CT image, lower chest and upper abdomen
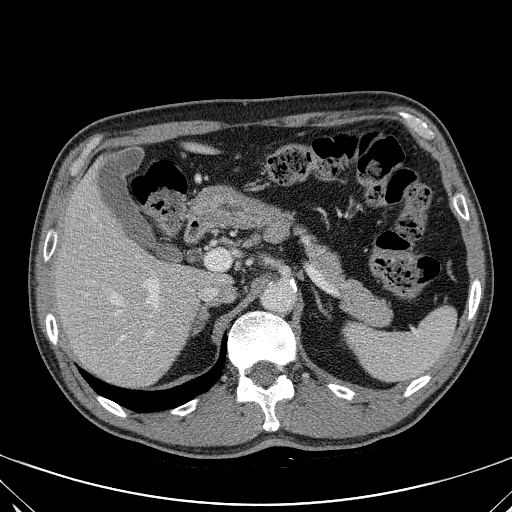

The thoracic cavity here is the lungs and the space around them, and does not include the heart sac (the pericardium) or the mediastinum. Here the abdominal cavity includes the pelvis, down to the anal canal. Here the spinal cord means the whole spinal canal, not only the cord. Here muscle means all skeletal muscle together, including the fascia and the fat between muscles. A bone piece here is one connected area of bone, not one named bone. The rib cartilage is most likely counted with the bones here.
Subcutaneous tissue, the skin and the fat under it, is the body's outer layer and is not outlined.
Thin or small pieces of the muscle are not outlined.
Outlines:
torso: (352, 90) (391, 91) (429, 108) (447, 128) (478, 198) (493, 258) (493, 300) (484, 331) (454, 383) (411, 427) (363, 446) (338, 450) (274, 446) (236, 458) (190, 458) (118, 437) (84, 417) (44, 364) (28, 306) (34, 221) (48, 174) (65, 143) (99, 118) (145, 107)
abdominal cavity: (374, 116) (402, 119) (438, 153) (447, 167) (452, 206) (465, 222) (468, 307) (458, 335) (433, 369) (384, 390) (331, 382) (300, 357) (290, 324) (261, 309) (232, 322) (207, 371) (169, 388) (128, 389) (76, 367) (59, 337) (50, 264) (74, 179) (97, 146)
spinal cord: (261, 360) (265, 360) (266, 361) (268, 361) (269, 362) (271, 362) (275, 364) (277, 366) (277, 368) (280, 372) (276, 377) (274, 382) (272, 384) (266, 387) (264, 386) (262, 386) (261, 385) (258, 385) (256, 384) (248, 375) (248, 373) (249, 372) (249, 369) (255, 363)
bones 1: (254, 310) (270, 312) (281, 317) (289, 324) (296, 338) (296, 358) (286, 368) (293, 384) (294, 396) (275, 403) (274, 413) (280, 423) (275, 431) (266, 431) (263, 428) (265, 415) (257, 402) (236, 401) (238, 371) (227, 357) (227, 335) (233, 322) (242, 314); inner edge: (261, 360) (265, 360) (266, 361) (268, 361) (269, 362) (271, 362) (275, 364) (277, 366) (277, 368) (280, 372) (276, 377) (274, 382) (272, 384) (266, 387) (264, 386) (262, 386) (261, 385) (258, 385) (256, 384) (248, 375) (248, 373) (249, 372) (249, 369) (255, 363)
bones 2: (398, 111) (404, 111) (410, 114) (412, 114) (416, 117) (418, 117) (420, 118) (427, 124) (428, 127) (433, 132) (434, 134) (434, 137) (432, 139) (430, 140) (428, 140) (420, 136) (415, 131) (414, 131) (407, 125) (404, 119) (398, 114) (397, 112)
bones 3: (98, 135) (101, 135) (101, 138) (99, 142) (91, 150) (91, 151) (85, 158) (83, 162) (83, 164) (81, 166) (77, 173) (75, 175) (71, 175) (70, 174) (70, 171) (69, 169) (73, 161) (79, 155) (82, 149) (86, 145) (86, 144) (90, 140) (91, 140) (94, 137)
bones 4: (476, 277) (478, 278) (480, 281) (480, 286) (481, 287) (481, 294) (480, 295) (479, 304) (476, 310) (476, 312) (473, 316) (473, 317) (470, 320) (468, 320) (467, 319) (467, 316) (468, 315) (469, 301) (470, 300) (470, 297) (471, 296) (472, 281) (473, 279)
bones 5: (51, 228) (53, 228) (55, 230) (56, 230) (56, 238) (57, 239) (57, 242) (56, 243) (56, 245) (55, 246) (54, 251) (50, 259) (48, 261) (45, 262) (43, 258) (43, 246) (44, 245) (44, 242) (45, 241) (46, 234) (48, 230)
bones 6: (455, 192) (460, 192) (464, 196) (465, 198) (466, 204) (467, 205) (468, 211) (469, 212) (469, 216) (470, 217) (469, 218) (469, 220) (467, 221) (463, 219) (463, 218) (456, 211) (455, 208) (453, 206) (453, 203) (452, 202) (452, 196)
bones 7: (97, 394) (99, 394) (100, 395) (117, 403) (119, 405) (120, 405) (126, 412) (126, 413) (127, 414) (126, 417) (121, 417) (120, 416) (118, 416) (117, 415) (110, 412) (108, 410) (107, 410) (103, 406) (102, 406) (96, 399) (96, 395)
bones 8: (48, 312) (51, 312) (53, 314) (55, 318) (55, 322) (57, 326) (57, 330) (58, 331) (58, 342) (56, 345) (54, 345) (49, 340) (49, 338) (47, 334) (47, 331) (46, 330) (46, 326) (45, 325) (45, 317) (46, 316) (46, 314)
bones 9: (328, 383) (334, 383) (335, 384) (338, 384) (339, 385) (341, 385) (342, 386) (345, 386) (348, 388) (350, 388) (354, 391) (355, 391) (356, 395) (352, 399) (350, 400) (346, 399) (345, 398) (343, 398) (342, 397) (339, 397) (335, 395) (327, 387) (327, 384)
bones 10: (427, 373) (428, 373) (431, 376) (431, 377) (430, 379) (423, 386) (422, 386) (419, 389) (418, 389) (416, 391) (415, 391) (413, 393) (412, 393) (410, 395) (406, 397) (403, 397) (402, 396) (406, 387) (413, 380)
bones 11: (196, 397) (197, 397) (199, 399) (199, 400) (197, 403) (196, 408) (194, 410) (193, 410) (182, 416) (181, 416) (180, 415) (175, 415) (174, 414) (171, 414) (170, 413) (170, 412) (169, 411) (171, 409) (172, 409) (173, 408) (175, 408) (176, 407) (177, 407)
muscle: (389, 104) (411, 107) (437, 127) (474, 205) (482, 236) (485, 286) (471, 341) (434, 392) (394, 425) (353, 437) (278, 430) (281, 423) (275, 413) (278, 401) (295, 396) (287, 368) (298, 354) (311, 372) (330, 382) (326, 387) (339, 398) (352, 400) (357, 393) (351, 388) (384, 391) (404, 386) (401, 396) (406, 398) (431, 379) (428, 372) (451, 349) (467, 311) (468, 321) (477, 312) (482, 287) (478, 277) (472, 280) (466, 198) (460, 191) (451, 196) (447, 165) (420, 137) (428, 141) (435, 137) (428, 124) (398, 110) (400, 117) (363, 116) (321, 125) (250, 125) (107, 139) (98, 145) (101, 134) (90, 139) (68, 169) (75, 177) (57, 229) (47, 230) (42, 246) (43, 261) (50, 260) (53, 313) (48, 311) (44, 317) (48, 340) (56, 346) (59, 338) (96, 393) (95, 399) (121, 418) (128, 415) (124, 408) (140, 413) (169, 410) (181, 417) (194, 411) (198, 396) (218, 380) (227, 358) (237, 371) (235, 401) (257, 403) (265, 431) (235, 445) (166, 443) (104, 421) (75, 397) (39, 327) (35, 294) (35, 257) (48, 199) (64, 159) (75, 146) (95, 133) (164, 122) (237, 123)
thoracic cavity: (224, 335) (226, 335) (226, 358) (217, 380) (206, 391) (170, 409) (140, 412) (123, 407) (117, 402) (97, 393) (78, 370) (78, 368) (80, 368) (94, 378) (107, 384) (128, 390) (139, 390) (146, 392) (165, 390) (183, 384) (207, 372) (216, 363) (220, 355) (222, 338)